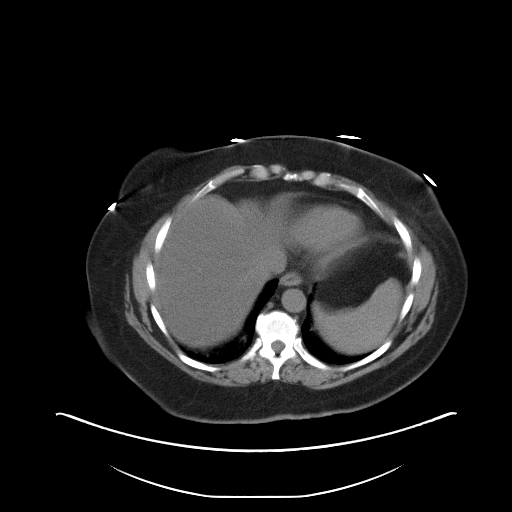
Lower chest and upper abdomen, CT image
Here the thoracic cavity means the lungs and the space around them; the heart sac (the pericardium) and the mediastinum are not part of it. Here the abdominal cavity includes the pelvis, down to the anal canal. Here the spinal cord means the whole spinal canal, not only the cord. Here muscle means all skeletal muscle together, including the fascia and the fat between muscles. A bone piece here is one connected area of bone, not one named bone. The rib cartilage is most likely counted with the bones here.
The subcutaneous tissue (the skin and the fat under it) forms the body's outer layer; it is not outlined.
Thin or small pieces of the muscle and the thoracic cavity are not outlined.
Outlined structures:
abdominal cavity 1: [[217,188],[222,192],[230,194],[267,194],[280,190],[295,192],[292,192],[287,199],[281,217],[281,235],[287,245],[287,259],[283,269],[265,284],[259,294],[245,324],[243,337],[205,354],[180,347],[170,336],[156,307],[154,267],[172,224],[193,202]]
abdominal cavity 2: [[379,232],[397,234],[405,249],[405,255],[411,267],[407,294],[399,311],[397,321],[383,343],[369,353],[352,356],[338,355],[331,351],[310,331],[310,314],[308,313],[308,310],[312,300],[311,294],[316,275],[315,268],[317,264],[325,258],[374,233]]
pericardium: [[300,191],[323,194],[356,204],[365,210],[373,219],[378,232],[374,232],[361,240],[358,240],[345,248],[325,257],[316,264],[314,268],[315,273],[312,272],[303,266],[288,251],[288,245],[282,235],[282,217],[287,201],[292,196],[292,193]]
thoracic cavity 1: [[270,280],[276,281],[275,288],[256,316],[254,322],[254,331],[256,336],[251,345],[242,355],[229,361],[210,364],[192,358],[181,349],[181,347],[191,352],[205,355],[219,350],[236,340],[241,340],[244,337],[246,324],[256,305],[256,302],[266,284]]
thoracic cavity 2: [[308,314],[309,314],[309,331],[331,352],[338,356],[345,356],[346,357],[352,357],[353,356],[359,356],[362,354],[368,354],[356,361],[343,365],[329,364],[320,360],[309,352],[303,344],[303,340],[302,337],[300,335],[301,325],[307,317]]
spinal cord: [[277,340],[278,340],[279,341],[280,341],[281,342],[282,342],[284,345],[284,346],[283,347],[283,348],[278,353],[277,353],[276,352],[275,352],[271,346],[271,345],[272,344],[272,343],[273,342],[274,342]]
muscle 1: [[237,164],[252,164],[247,173],[253,179],[232,179],[246,173],[247,171],[243,167],[227,170],[211,178],[202,186],[192,196],[188,207],[173,223],[173,217],[168,215],[155,235],[153,250],[157,254],[157,259],[154,266],[151,261],[146,263],[145,277],[148,288],[154,293],[155,304],[153,302],[149,304],[150,313],[161,332],[179,346],[180,349],[176,352],[177,357],[190,367],[211,373],[221,369],[219,366],[214,365],[238,358],[241,363],[252,361],[257,357],[264,358],[272,365],[270,378],[273,380],[252,387],[223,386],[192,377],[147,344],[127,322],[124,315],[126,274],[131,274],[133,257],[138,251],[147,231],[163,214],[171,210],[185,194],[197,185],[226,167]]
muscle 2: [[332,173],[347,177],[371,190],[378,198],[394,208],[398,215],[413,229],[432,254],[436,265],[438,293],[434,320],[430,329],[401,355],[385,366],[349,382],[326,389],[312,389],[299,384],[279,381],[282,365],[289,359],[297,363],[302,360],[324,371],[330,370],[332,368],[330,365],[337,365],[340,366],[338,370],[346,372],[375,360],[391,346],[393,339],[389,336],[396,323],[402,321],[409,312],[414,299],[414,293],[412,291],[408,293],[409,285],[415,286],[422,272],[420,258],[415,256],[412,259],[411,266],[406,255],[406,251],[409,254],[411,253],[413,246],[405,224],[393,215],[391,222],[396,233],[386,222],[385,215],[377,203],[360,186],[336,179],[332,176]]
muscle 3: [[274,162],[281,162],[284,163],[286,164],[289,168],[292,169],[301,169],[302,168],[312,169],[306,169],[300,172],[297,172],[296,171],[293,171],[292,172],[286,170],[286,168],[279,163],[270,163],[268,165],[265,165],[262,163],[258,163],[273,163]]
torso: [[275,134],[333,139],[417,172],[435,192],[462,246],[469,273],[465,307],[435,362],[405,388],[370,407],[263,423],[175,417],[106,360],[85,324],[81,305],[87,300],[90,238],[101,218],[118,204],[118,189],[128,169],[149,150],[164,144],[204,149]]
mediastinum 1: [[288,252],[303,267],[315,274],[313,279],[313,287],[311,288],[311,293],[308,299],[309,307],[307,310],[307,315],[300,325],[295,317],[283,310],[273,309],[269,311],[261,311],[276,288],[277,281],[275,279],[272,279],[284,269],[288,259]]
mediastinum 2: [[276,178],[295,182],[307,181],[321,188],[335,188],[346,191],[369,207],[385,221],[395,233],[379,231],[370,214],[356,203],[323,193],[291,189],[280,189],[267,193],[230,193],[228,191],[222,191],[218,189],[218,187],[230,180],[245,179],[264,181]]
bones 1: [[273,310],[283,311],[295,318],[300,326],[299,335],[304,347],[329,365],[330,369],[324,370],[302,359],[297,362],[289,358],[279,369],[279,379],[274,380],[271,378],[273,365],[268,359],[257,356],[252,360],[239,361],[257,336],[257,316],[260,312]], around a hole outlined by [[277,340],[278,340],[279,341],[280,341],[281,342],[282,342],[284,345],[284,346],[283,347],[283,348],[278,353],[277,353],[276,352],[275,352],[271,346],[271,345],[272,344],[272,343],[273,342],[274,342]]
bones 2: [[256,163],[265,166],[279,164],[286,171],[292,173],[300,173],[306,170],[312,170],[316,173],[330,172],[334,179],[360,187],[376,203],[385,220],[355,195],[333,185],[321,187],[307,180],[285,180],[281,174],[273,174],[269,179],[255,180],[248,171]]
bones 3: [[238,168],[243,168],[245,169],[246,171],[245,173],[241,175],[239,175],[236,177],[234,177],[222,183],[215,189],[213,189],[211,191],[209,191],[194,201],[192,202],[191,201],[193,196],[211,179],[213,179],[218,175],[220,175],[227,171],[237,169]]
bones 4: [[388,338],[392,339],[392,342],[390,346],[381,355],[375,359],[363,365],[361,365],[358,367],[356,367],[355,368],[353,368],[346,371],[342,371],[338,369],[339,367],[341,366],[347,365],[348,364],[356,362],[362,359],[377,349],[382,344],[383,344]]
bones 5: [[393,216],[395,216],[396,217],[397,217],[404,224],[404,225],[406,227],[406,228],[409,233],[409,235],[410,236],[410,238],[411,239],[411,245],[412,246],[411,247],[411,251],[410,252],[410,253],[409,253],[404,247],[404,245],[392,222],[392,217]]
bones 6: [[180,350],[192,359],[194,359],[197,361],[206,364],[209,364],[210,365],[213,365],[219,367],[220,369],[211,372],[210,371],[207,371],[206,370],[203,370],[202,369],[199,369],[190,366],[183,362],[178,357],[177,352]]
bones 7: [[168,216],[171,216],[172,217],[172,220],[171,221],[171,223],[170,224],[169,229],[166,234],[166,236],[162,244],[161,249],[158,253],[156,253],[154,250],[154,244],[155,243],[155,239],[156,238],[156,235],[160,227]]
bones 8: [[415,257],[418,257],[420,260],[420,262],[421,263],[421,272],[420,273],[420,276],[419,277],[419,279],[418,280],[417,283],[415,285],[412,286],[410,284],[410,279],[411,278],[411,274],[412,273],[412,264],[413,263],[413,259]]
bones 9: [[151,303],[153,303],[155,305],[155,307],[157,309],[159,314],[161,316],[161,318],[165,325],[165,327],[170,337],[167,337],[162,332],[162,331],[159,328],[156,322],[154,320],[153,318],[153,316],[150,310],[150,304]]
bones 10: [[148,262],[151,262],[152,263],[152,264],[153,265],[153,269],[154,270],[154,276],[155,277],[155,289],[153,291],[152,291],[149,288],[149,286],[148,285],[148,283],[147,282],[147,278],[146,277],[146,265],[147,264],[147,263]]
bones 11: [[410,292],[412,292],[413,293],[413,299],[412,300],[412,302],[411,303],[410,308],[408,312],[405,315],[405,316],[402,319],[402,320],[399,321],[398,319],[399,318],[400,311],[402,308],[402,306],[404,303],[404,301],[407,295]]